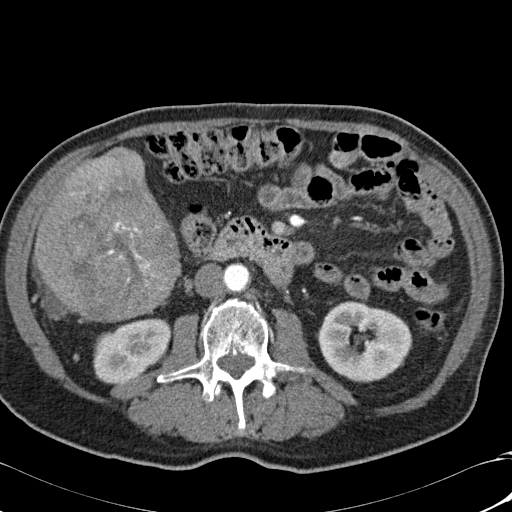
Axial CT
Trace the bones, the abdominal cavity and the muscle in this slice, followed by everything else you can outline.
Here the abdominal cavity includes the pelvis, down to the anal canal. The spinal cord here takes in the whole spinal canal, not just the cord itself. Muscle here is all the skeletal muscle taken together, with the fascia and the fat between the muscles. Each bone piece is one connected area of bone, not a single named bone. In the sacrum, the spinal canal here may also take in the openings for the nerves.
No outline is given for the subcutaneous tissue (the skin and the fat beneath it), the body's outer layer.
The bones are outlined by 229,298 252,303 265,318 273,360 308,369 278,372 272,379 275,393 268,398 262,395 260,381 247,385 242,430 237,428 235,399 227,383 222,382 219,394 206,402 203,386 194,377 156,380 203,356 206,320; inner edge: 239,353 241,354 245,354 251,357 253,359 254,361 254,363 249,368 246,369 238,378 234,378 227,371 222,369 218,365 217,363 217,361 221,357 223,356 225,356 229,354 231,354 233,356 235,356. The abdominal cavity is outlined by 275,122 397,140 453,210 470,294 433,380 399,402 364,406 314,363 294,312 273,310 271,341 254,304 229,297 205,320 200,358 199,315 185,313 161,366 109,396 77,383 27,289 36,226 72,168 151,131. The muscle is outlined by 221,117 244,117 261,119 298,118 305,120 365,122 380,126 397,133 409,141 414,146 417,147 422,153 426,153 441,162 459,178 468,190 479,210 479,213 483,220 490,244 492,266 488,304 485,315 482,320 481,329 470,347 466,357 454,372 447,378 437,393 431,399 428,400 424,406 406,412 395,413 374,418 366,418 364,420 358,422 342,422 335,428 313,439 307,438 294,441 280,441 267,443 264,441 251,440 247,438 239,439 237,438 234,440 227,440 219,443 214,443 212,445 210,445 209,443 200,443 199,442 180,443 163,438 152,437 151,435 147,434 137,427 121,410 111,409 109,407 86,399 69,391 57,379 49,376 40,368 31,349 21,338 13,320 6,297 5,276 4,275 5,257 11,229 20,207 37,181 56,161 67,153 73,151 75,149 107,139 131,128 156,122 195,121 202,119; inner edge: 275,122 397,140 453,210 470,294 433,380 364,406 275,308 270,357 308,370 268,398 247,385 242,430 227,383 206,402 194,377 156,380 200,359 196,312 156,369 109,396 77,383 27,289 72,168 151,131. The spinal cord is outlined by 239,353 241,354 245,354 251,357 253,359 254,361 254,363 249,368 246,369 238,378 234,378 227,371 222,369 218,365 217,363 217,361 221,357 223,356 225,356 229,354 231,354 233,356 235,356. The torso is outlined by 228,101 356,105 383,110 437,140 476,181 500,237 504,294 476,403 454,430 400,453 315,473 271,469 242,457 168,470 103,458 56,441 29,427 0,401 0,220 27,172 63,140 118,116 156,106.